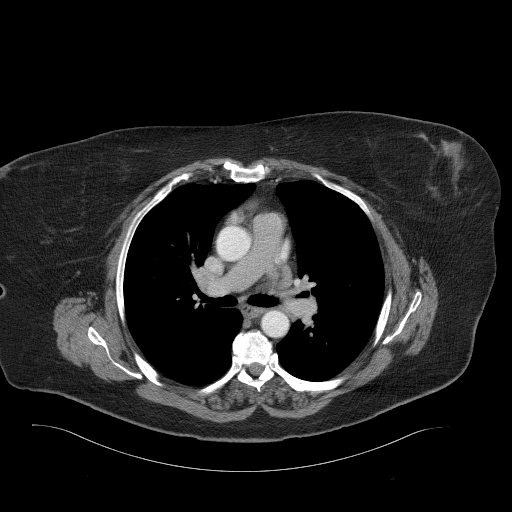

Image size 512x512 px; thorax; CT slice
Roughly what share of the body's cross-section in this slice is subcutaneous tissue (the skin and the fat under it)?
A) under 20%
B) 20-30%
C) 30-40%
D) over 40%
Answer: D) over 40%
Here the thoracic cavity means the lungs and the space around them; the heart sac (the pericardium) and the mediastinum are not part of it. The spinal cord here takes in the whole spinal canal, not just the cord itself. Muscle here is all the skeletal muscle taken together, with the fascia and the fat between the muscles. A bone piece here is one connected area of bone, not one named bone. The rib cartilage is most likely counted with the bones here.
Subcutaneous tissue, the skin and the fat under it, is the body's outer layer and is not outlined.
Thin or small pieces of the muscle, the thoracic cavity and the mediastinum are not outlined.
The muscle is outlined by (266, 156) (292, 159) (307, 164) (322, 166) (330, 171) (346, 176) (352, 181) (371, 191) (376, 197) (381, 200) (382, 203) (380, 206) (380, 209) (384, 217) (392, 221) (395, 224) (402, 237) (403, 243) (407, 247) (411, 257) (417, 260) (422, 256) (428, 263) (435, 279) (438, 290) (438, 306) (430, 334) (425, 345) (418, 353) (414, 355) (403, 356) (392, 361) (388, 367) (379, 375) (367, 383) (351, 391) (335, 397) (331, 402) (313, 414) (300, 418) (276, 417) (269, 415) (262, 408) (259, 407) (250, 416) (243, 420) (236, 420) (228, 422) (215, 422) (202, 419) (175, 407) (150, 401) (128, 389) (117, 384) (112, 384) (96, 376) (89, 369) (79, 367) (62, 356) (57, 348) (56, 345) (56, 336) (57, 335) (53, 329) (52, 321) (54, 308) (62, 298) (72, 296) (90, 297) (92, 300) (96, 302) (95, 305) (96, 308) (102, 304) (105, 277) (104, 260) (113, 244) (112, 240) (113, 238) (119, 232) (118, 227) (109, 232) (108, 230) (113, 221) (138, 194) (152, 182) (173, 169) (191, 163) (196, 160) (202, 160) (211, 157) (230, 157) (241, 161) (246, 165) (254, 160), around holes outlined by (226, 159) (249, 168) (258, 163) (268, 165) (271, 167) (268, 178) (315, 180) (312, 173) (318, 173) (361, 197) (371, 212) (374, 219) (371, 224) (383, 263) (384, 294) (391, 287) (391, 304) (377, 344) (371, 345) (371, 335) (357, 357) (338, 375) (348, 374) (347, 379) (333, 389) (297, 391) (276, 375) (266, 381) (260, 391) (233, 377) (215, 391) (198, 395) (199, 387) (161, 374) (164, 386) (159, 386) (145, 376) (138, 379) (126, 373) (111, 362) (102, 345) (93, 343) (88, 337) (91, 326) (104, 339) (116, 362) (133, 372) (140, 371) (133, 350) (141, 356) (142, 353) (127, 323) (122, 324) (115, 291) (117, 262) (127, 228) (157, 190) (177, 175) (191, 172) (188, 182) (210, 178) (227, 180) (227, 172) (221, 167) and by (417, 290) (419, 290) (421, 292) (421, 300) (417, 306) (416, 309) (408, 316) (401, 331) (388, 343) (386, 344) (383, 344) (382, 343) (383, 339) (384, 339) (387, 335) (393, 332) (398, 326) (400, 321) (403, 318) (404, 315) (408, 310) (409, 305) (413, 298) (413, 296). The torso is outlined by (341, 110) (390, 113) (453, 126) (476, 139) (496, 168) (501, 186) (494, 222) (496, 275) (477, 324) (470, 361) (457, 379) (363, 422) (317, 435) (272, 442) (223, 442) (166, 434) (58, 394) (21, 389) (8, 383) (0, 367) (0, 166) (29, 152) (118, 128) (244, 124). The bones appear in 7 outlined pieces: piece 1: (249, 330) (259, 330) (271, 342) (279, 364) (297, 378) (319, 382) (345, 374) (349, 376) (337, 387) (320, 392) (297, 391) (277, 375) (266, 381) (258, 391) (254, 386) (233, 377) (215, 391) (198, 395) (198, 389) (218, 380) (227, 372) (232, 362) (235, 336) (240, 331), around a hole outlined by (253, 363) (258, 363) (259, 364) (260, 364) (262, 366) (263, 366) (263, 369) (262, 370) (262, 371) (257, 376) (253, 376) (252, 375) (251, 375) (248, 372) (248, 367) (251, 364) (252, 364); piece 2: (184, 172) (192, 173) (189, 179) (187, 181) (181, 180) (178, 182) (163, 199) (145, 214) (136, 227) (129, 244) (123, 272) (123, 303) (126, 322) (124, 326) (120, 319) (117, 306) (115, 279) (118, 257) (127, 228) (135, 214) (151, 199) (159, 188) (167, 183) (173, 177); piece 3: (90, 326) (94, 328) (104, 339) (110, 355) (116, 362) (133, 372) (139, 372) (140, 370) (133, 355) (134, 350) (159, 374) (164, 386) (156, 385) (145, 376) (143, 376) (141, 379) (138, 379) (113, 364) (109, 359) (104, 347) (102, 345) (93, 343) (89, 339) (87, 332); piece 4: (226, 159) (228, 159) (240, 166) (248, 167) (249, 168) (253, 167) (258, 163) (262, 163) (265, 165) (268, 165) (271, 167) (271, 171) (266, 178) (262, 179) (259, 181) (256, 181) (255, 182) (236, 182) (228, 179) (226, 176) (226, 173) (227, 172) (221, 167) (222, 162); piece 5: (314, 172) (315, 173) (320, 174) (324, 178) (328, 180) (333, 181) (343, 186) (345, 188) (352, 191) (361, 197) (371, 212) (371, 214) (374, 219) (373, 223) (370, 221) (369, 218) (366, 215) (366, 214) (355, 202) (343, 194) (327, 187) (313, 177) (312, 176) (312, 173); piece 6: (389, 287) (391, 287) (392, 289) (392, 297) (391, 298) (391, 304) (389, 309) (389, 313) (387, 317) (387, 320) (386, 321) (383, 332) (380, 337) (380, 339) (377, 344) (373, 347) (371, 344) (372, 343) (374, 330) (384, 301) (385, 295); piece 7: (417, 290) (419, 290) (421, 292) (421, 300) (417, 306) (416, 309) (408, 316) (401, 331) (388, 343) (386, 344) (383, 344) (382, 343) (383, 339) (384, 339) (387, 335) (393, 332) (398, 326) (400, 321) (403, 318) (404, 315) (408, 310) (409, 305) (413, 298) (413, 296). The mediastinum appears in 2 outlined pieces: piece 1: (207, 254) (207, 261) (213, 276) (225, 290) (236, 296) (245, 294) (267, 294) (273, 296) (284, 293) (289, 289) (283, 302) (283, 311) (290, 327) (287, 333) (275, 345) (274, 350) (272, 342) (259, 329) (240, 330) (243, 317) (239, 310) (219, 295) (206, 280) (204, 261); piece 2: (267, 178) (293, 178) (294, 179) (298, 179) (292, 180) (291, 181) (279, 182) (276, 185) (275, 191) (277, 196) (284, 207) (285, 212) (282, 206) (278, 202) (275, 200) (273, 200) (270, 196) (255, 195) (246, 200) (255, 190) (256, 188) (255, 183) (264, 180). The spinal cord is outlined by (253, 363) (258, 363) (259, 364) (260, 364) (262, 366) (263, 366) (263, 369) (262, 370) (262, 371) (257, 376) (253, 376) (252, 375) (251, 375) (248, 372) (248, 367) (251, 364) (252, 364). The pericardium is outlined by (255, 196) (270, 197) (283, 209) (291, 231) (293, 243) (292, 253) (295, 260) (295, 271) (291, 285) (284, 292) (273, 295) (267, 293) (245, 293) (236, 295) (225, 289) (214, 276) (208, 261) (208, 252) (212, 244) (212, 233) (215, 225) (222, 218) (228, 216) (243, 203). The thoracic cavity appears in 2 outlined pieces: piece 1: (187, 182) (255, 185) (252, 193) (244, 201) (214, 225) (211, 244) (203, 261) (207, 284) (238, 310) (242, 321) (239, 331) (231, 342) (230, 366) (222, 376) (202, 387) (187, 385) (160, 374) (142, 356) (128, 327) (124, 303) (126, 259) (137, 227) (146, 214) (173, 188); piece 2: (299, 179) (316, 180) (343, 195) (360, 208) (374, 230) (384, 270) (384, 297) (373, 333) (357, 357) (345, 369) (335, 377) (319, 381) (307, 380) (291, 374) (280, 364) (275, 350) (276, 345) (291, 327) (285, 316) (284, 302) (298, 275) (292, 229) (276, 188) (279, 183).